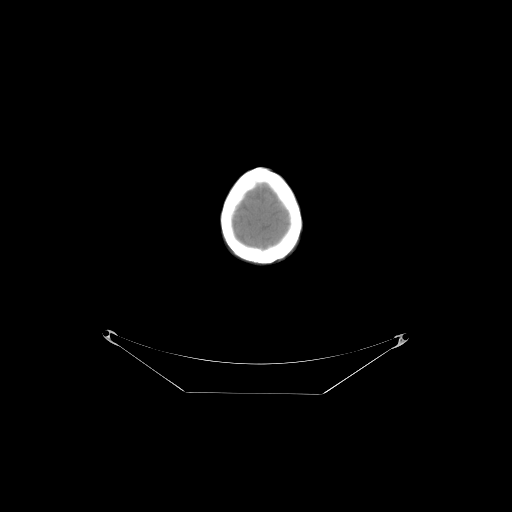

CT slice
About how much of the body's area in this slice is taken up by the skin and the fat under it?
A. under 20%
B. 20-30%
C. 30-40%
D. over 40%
Answer: A. under 20%
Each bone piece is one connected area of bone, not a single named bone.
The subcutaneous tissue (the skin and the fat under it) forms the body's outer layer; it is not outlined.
{"brain":[[[263,183],[266,184],[275,194],[276,197],[286,210],[288,216],[287,229],[283,235],[275,243],[268,245],[263,248],[258,246],[249,245],[241,241],[237,237],[235,233],[234,225],[233,224],[234,214],[246,194],[249,191],[252,190],[258,184],[262,184]]],"head":[[[255,166],[265,166],[271,168],[285,178],[295,193],[297,200],[299,202],[301,213],[303,217],[303,235],[299,247],[289,259],[284,261],[283,263],[270,267],[252,267],[236,261],[224,248],[220,236],[219,216],[224,198],[228,190],[238,176],[246,170]]],"bones":[{"outer":[[255,166],[268,167],[279,173],[285,178],[295,193],[301,208],[301,213],[303,218],[303,227],[299,240],[295,247],[285,257],[278,259],[271,263],[256,263],[242,259],[235,255],[224,241],[220,230],[220,224],[219,223],[220,210],[228,190],[240,174]],"hole":[[263,183],[266,184],[275,194],[276,197],[286,210],[288,216],[287,229],[283,235],[275,243],[268,245],[263,248],[258,246],[249,245],[241,241],[237,237],[235,233],[234,225],[233,224],[234,214],[246,194],[249,191],[252,190],[258,184],[262,184]]}]}